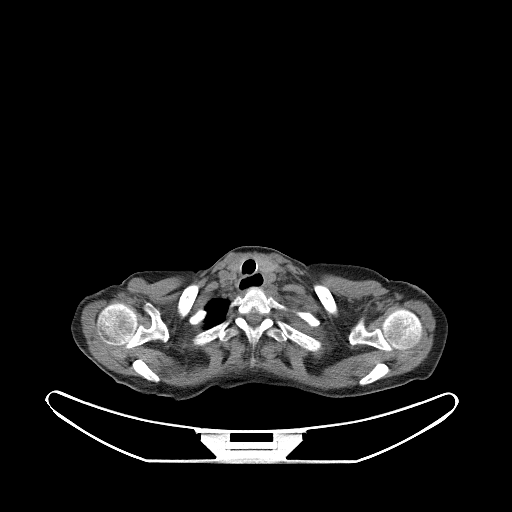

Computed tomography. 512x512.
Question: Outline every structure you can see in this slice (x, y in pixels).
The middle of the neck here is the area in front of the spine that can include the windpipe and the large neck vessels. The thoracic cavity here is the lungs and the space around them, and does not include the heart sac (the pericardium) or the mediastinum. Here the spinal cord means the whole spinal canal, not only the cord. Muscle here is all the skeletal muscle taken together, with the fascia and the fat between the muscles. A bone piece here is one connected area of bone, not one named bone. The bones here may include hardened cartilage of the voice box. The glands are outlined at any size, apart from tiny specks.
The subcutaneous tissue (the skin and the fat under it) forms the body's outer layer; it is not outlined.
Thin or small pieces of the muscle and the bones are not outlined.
Answer: The left arm is outlined by 389,279 406,281 415,284 423,289 441,307 447,318 448,333 447,334 445,346 437,366 435,368 433,373 427,379 424,380 418,380 417,379 414,380 405,365 401,356 390,342 390,332 384,313 386,285. The thyroid glands appear in 2 outlined pieces: piece 1: 255,256 261,256 262,257 263,257 264,258 269,260 272,263 273,263 275,265 275,267 272,270 270,270 269,271 267,271 266,272 261,272 261,271 259,268 259,266 258,265 258,263 256,261 256,260 254,257; piece 2: 242,257 245,257 245,258 239,264 239,266 238,267 238,269 237,270 237,271 232,271 230,269 230,267 231,266 231,265 234,262 235,262 236,261 237,261 238,260 239,260. The torso is outlined by 245,245 274,248 304,263 364,266 388,278 383,313 389,342 413,380 382,391 342,398 289,387 247,383 229,389 211,387 192,398 178,401 143,394 116,382 114,378 133,332 126,277 143,270 207,268 229,250. The thoracic cavity is outlined by 213,298 226,298 228,299 230,301 228,304 228,309 226,313 226,316 225,317 225,319 212,326 210,326 207,328 205,328 206,324 204,320 207,315 207,311 205,309 205,307 206,305 210,301 210,300 211,300. The right arm is outlined by 125,278 127,282 127,290 129,294 129,299 131,305 132,332 131,333 131,338 129,341 126,351 121,360 120,365 117,369 113,379 102,371 84,355 78,348 71,334 70,323 78,302 84,296 112,284 118,284. The middle of the neck is outlined by 248,257 254,258 261,273 272,271 277,266 280,266 283,269 283,272 280,275 277,283 273,287 265,290 259,286 250,286 245,290 230,291 221,286 219,284 217,274 222,269 228,267 232,272 237,272 240,264. The muscle is outlined by 247,251 279,254 312,274 331,273 352,280 372,279 385,288 422,300 436,320 434,342 428,356 414,369 385,378 382,378 390,368 379,361 356,385 334,389 310,386 260,369 246,369 195,386 176,387 160,381 160,377 141,358 133,360 131,368 142,377 109,369 88,349 80,321 85,305 105,299 132,278 160,280 175,275 195,276 208,272 232,252, around holes outlined by 255,256 283,269 277,283 264,291 287,307 274,313 319,340 319,350 290,339 278,341 264,332 252,346 240,329 226,341 192,343 206,324 191,324 190,316 213,298 231,301 245,293 221,286 217,274 242,257 and by 117,302 132,308 136,314 138,323 145,328 151,325 151,317 144,310 145,304 147,302 150,303 159,311 168,330 168,339 165,342 159,339 150,340 130,348 105,343 98,334 97,318 103,308 and by 398,308 404,308 413,312 421,322 421,338 419,342 413,347 403,350 393,349 390,351 386,351 366,344 353,345 349,342 349,333 361,317 364,319 364,325 366,329 368,331 372,331 376,328 380,328 385,318 and by 190,283 197,283 199,285 199,288 198,289 197,294 194,299 194,301 187,315 184,317 181,317 177,309 177,305 178,304 178,301 182,293 182,291 184,289 184,288 and by 314,283 320,283 321,284 323,284 325,286 326,286 330,291 331,294 333,296 335,300 335,302 337,306 337,313 335,315 334,314 330,314 328,313 328,312 321,303 320,300 318,298 313,288 313,284 and by 295,311 301,311 302,312 310,312 313,315 314,315 319,320 319,321 320,322 320,323 317,326 311,326 310,325 309,325 304,320 303,320 301,318 300,318 294,312. The bones appear in 9 outlined pieces: piece 1: 250,287 261,288 267,296 287,307 287,310 274,309 277,317 316,338 322,347 310,351 290,339 278,341 264,332 252,346 240,329 226,341 216,338 203,345 194,345 192,338 225,320 232,312 230,302 with a hole at 252,312 255,312 256,313 258,313 259,314 260,314 262,316 262,318 261,319 261,320 260,321 260,322 259,323 259,324 258,324 256,326 251,326 248,323 248,322 246,319 246,315 247,315 249,313 251,313; piece 2: 117,302 132,308 136,314 138,323 145,328 151,325 151,317 144,310 145,304 147,302 150,303 159,311 168,330 168,339 165,342 159,339 150,340 130,348 105,343 98,334 97,318 103,308; piece 3: 398,308 404,308 413,312 421,322 421,338 419,342 413,347 403,350 393,349 390,351 386,351 366,344 353,345 349,342 349,333 361,317 364,319 364,325 366,329 368,331 372,331 376,328 380,328 385,318; piece 4: 190,283 197,283 199,285 199,288 198,289 197,294 194,299 194,301 187,315 184,317 181,317 177,309 177,305 178,304 178,301 182,293 182,291 184,289 184,288; piece 5: 314,283 320,283 321,284 323,284 325,286 326,286 330,291 331,294 333,296 335,300 335,302 337,306 337,313 335,315 334,314 330,314 328,313 328,312 321,303 320,300 318,298 313,288 313,284; piece 6: 379,362 380,363 384,363 386,365 387,365 387,366 389,368 389,371 384,376 383,376 381,378 375,381 373,381 365,385 359,385 358,384 358,382 359,380 367,373 368,373 369,371 377,363; piece 7: 136,359 141,359 142,360 143,360 148,365 148,366 159,377 159,378 160,379 159,382 154,382 153,381 150,381 149,380 147,380 141,375 140,375 137,372 136,372 132,368 132,362 133,361 134,361; piece 8: 295,311 301,311 302,312 310,312 313,315 314,315 319,320 319,321 320,322 320,323 317,326 311,326 310,325 309,325 304,320 303,320 301,318 300,318 294,312; piece 9: 199,309 204,309 206,311 206,315 205,316 205,317 204,318 204,319 203,320 203,321 202,321 200,323 197,323 196,324 191,324 189,322 189,317 190,316 191,316 193,314 194,314. The spinal cord is outlined by 252,312 255,312 256,313 258,313 259,314 260,314 262,316 262,318 261,319 261,320 260,321 260,322 259,323 259,324 258,324 256,326 251,326 248,323 248,322 246,319 246,315 247,315 249,313 251,313.